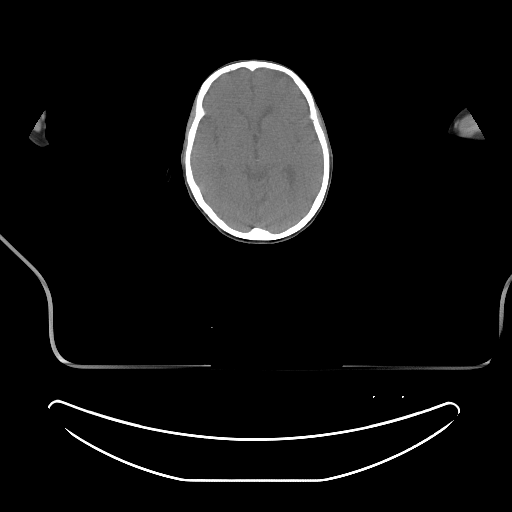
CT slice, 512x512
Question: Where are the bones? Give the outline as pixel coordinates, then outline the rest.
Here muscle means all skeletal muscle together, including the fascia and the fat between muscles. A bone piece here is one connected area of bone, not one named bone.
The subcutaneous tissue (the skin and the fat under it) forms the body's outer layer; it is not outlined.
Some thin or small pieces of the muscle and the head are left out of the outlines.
Answer: bones: (244, 60) (275, 62) (290, 68) (298, 74) (313, 95) (318, 111) (319, 123) (328, 143) (330, 175) (328, 187) (321, 205) (311, 219) (299, 230) (273, 240) (241, 238) (220, 228) (198, 205) (185, 177) (186, 133) (194, 117) (194, 101) (200, 85) (216, 69) with a hole at (240, 68) (251, 72) (265, 68) (281, 72) (292, 80) (306, 101) (308, 117) (321, 150) (322, 174) (316, 194) (307, 211) (294, 223) (279, 231) (260, 226) (242, 230) (230, 225) (207, 202) (193, 174) (191, 156) (198, 126) (206, 114) (204, 98) (214, 81) (223, 74)
head: (242, 58) (273, 60) (291, 68) (299, 75) (310, 89) (321, 110) (333, 150) (333, 179) (329, 197) (321, 213) (303, 233) (281, 243) (255, 245) (237, 242) (223, 236) (194, 207) (188, 197) (182, 178) (180, 150) (186, 120) (194, 96) (202, 82) (216, 68) (226, 62)
right arm: (44, 111) (46, 111) (46, 124) (47, 125) (47, 126) (46, 127) (46, 136) (47, 137) (47, 139) (49, 141) (49, 144) (45, 147) (39, 147) (29, 140) (29, 135) (30, 134) (31, 131) (33, 129) (34, 126) (38, 121) (39, 118) (41, 116) (42, 113)
muscle: (470, 114) (471, 114) (473, 119) (477, 124) (479, 129) (482, 133) (480, 134) (476, 134) (475, 133) (469, 136) (467, 135) (462, 135) (460, 134) (459, 132) (455, 128) (455, 124) (458, 120) (459, 120) (464, 116) (467, 116)
left arm: (463, 107) (465, 107) (468, 110) (471, 114) (473, 119) (477, 124) (479, 129) (481, 131) (484, 137) (484, 139) (485, 140) (485, 142) (484, 143) (470, 143) (469, 142) (464, 141) (461, 139) (459, 139) (456, 137) (450, 136) (447, 134) (447, 129) (450, 122) (454, 116)
brain: (240, 68) (251, 72) (265, 68) (281, 72) (292, 80) (306, 101) (308, 117) (321, 150) (322, 174) (316, 194) (307, 211) (294, 223) (279, 231) (260, 226) (242, 230) (230, 225) (207, 202) (193, 174) (191, 156) (198, 126) (206, 114) (204, 98) (214, 81) (223, 74)